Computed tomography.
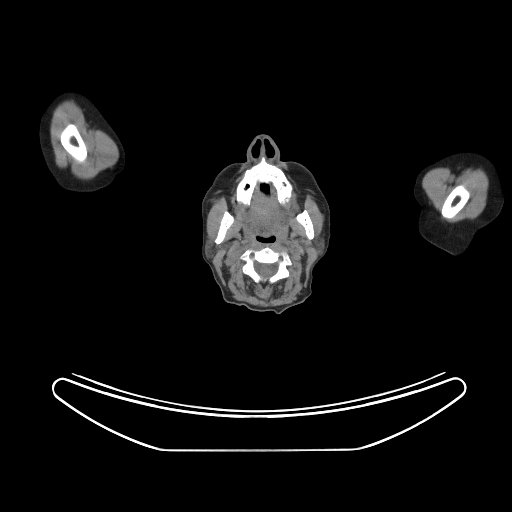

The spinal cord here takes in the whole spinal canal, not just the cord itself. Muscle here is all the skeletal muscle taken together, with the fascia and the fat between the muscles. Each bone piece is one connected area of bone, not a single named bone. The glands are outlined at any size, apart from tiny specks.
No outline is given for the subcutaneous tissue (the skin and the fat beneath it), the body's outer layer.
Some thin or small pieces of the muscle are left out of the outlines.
The parotid glands appear in 2 outlined pieces: piece 1: 323,229 323,238 324,239 324,244 323,245 323,248 321,250 321,251 320,252 319,251 318,251 314,247 314,246 313,245 313,242 314,241 314,240 315,239 315,238 316,237 318,232 320,230 322,230; piece 2: 209,237 211,239 211,240 213,242 213,243 215,246 215,252 214,253 214,256 213,257 213,258 212,258 211,259 208,258 208,257 207,256 207,254 206,253 206,250 205,249 205,246 206,245 207,238 208,238. The spinal cord is outlined by 256,262 257,262 258,263 261,263 262,264 276,264 276,265 277,266 277,268 276,269 276,271 275,272 275,273 274,273 272,275 271,275 268,277 264,277 263,276 260,275 256,271 256,270 255,269 255,263. The muscle appears in 3 outlined pieces: piece 1: 275,163 286,165 292,177 317,193 323,204 324,223 312,242 319,253 310,268 307,285 297,299 280,306 257,306 232,298 218,276 212,262 216,252 215,244 218,245 225,239 234,222 234,216 227,209 223,211 213,241 207,236 208,200 210,195 235,172 250,164 236,184 236,201 249,206 255,191 274,191 278,203 284,205 293,197 294,186 286,173, around holes outlined by 264,247 269,247 275,251 279,252 280,251 287,252 291,261 291,264 286,267 289,272 287,277 279,279 273,283 257,283 247,274 245,274 243,272 242,267 245,263 245,261 240,257 241,255 249,248 257,250 and by 304,209 306,209 307,210 308,212 308,214 311,219 311,221 313,225 313,228 314,229 314,236 312,239 309,239 306,236 306,233 305,232 305,229 304,227 297,220 296,218 296,216 297,214 300,213 and by 258,237 260,237 261,238 269,238 270,237 273,237 274,238 274,239 273,240 273,241 260,241 258,239; piece 2: 66,99 73,99 81,107 84,115 95,122 99,129 108,134 115,142 118,148 119,158 117,162 112,167 101,171 94,178 90,180 78,179 71,173 69,169 61,169 55,163 49,133 50,121 55,107 61,101 with a hole at 70,123 72,123 76,126 76,127 86,146 86,149 87,150 87,157 86,158 86,159 83,162 78,162 76,160 75,160 66,151 66,150 63,147 63,146 60,141 60,133 62,131 62,130 68,124 69,124; piece 3: 439,166 481,167 485,170 489,179 488,195 486,200 486,205 483,211 477,217 474,219 464,219 454,223 445,222 440,220 439,213 429,203 427,196 422,188 422,179 424,175 430,169; inner edge: 459,184 462,184 469,191 469,193 470,194 469,198 467,200 466,203 463,206 463,207 452,218 450,218 449,219 444,218 442,217 442,216 440,214 440,210 442,207 442,205 446,197 453,189 453,188 455,186. The right arm is outlined by 66,90 75,90 81,92 87,96 95,104 116,132 122,143 125,151 125,165 123,169 115,176 113,181 109,185 98,190 94,193 76,193 60,187 48,170 40,150 39,138 38,137 39,122 47,108 58,94. The head and neck is outlined by 261,133 273,139 279,149 281,160 299,162 311,171 327,200 330,211 329,244 327,251 313,268 311,295 304,302 280,314 271,311 253,311 225,302 201,253 202,199 220,170 231,163 246,160 246,152 252,139; inner edges: 265,141 268,141 269,142 269,143 271,145 271,146 272,147 272,148 273,149 273,154 271,156 269,156 267,154 267,150 266,149 266,147 265,146, then 257,141 259,141 260,142 260,145 259,146 259,148 258,149 258,153 257,154 257,155 256,156 255,156 254,155 253,155 253,154 252,153 252,149 253,148 253,146 255,144 255,143, then 258,237 260,237 261,238 269,238 270,237 273,237 274,238 274,239 273,240 273,241 260,241 258,239. The bones appear in 6 outlined pieces: piece 1: 263,156 268,162 271,162 277,165 285,173 287,178 293,186 293,195 284,204 279,203 276,198 276,192 274,190 270,192 260,192 255,190 252,194 249,205 245,205 237,201 236,187 243,176 245,170 257,163; piece 2: 264,247 269,247 275,251 279,252 280,251 287,252 291,261 291,264 286,267 289,272 287,277 279,279 273,283 257,283 247,274 245,274 243,272 242,267 245,263 245,261 240,257 241,255 249,248 257,250, around a hole outlined by 256,262 257,262 258,263 261,263 262,264 276,264 276,265 277,266 277,268 276,269 276,271 275,272 275,273 274,273 272,275 271,275 268,277 264,277 263,276 260,275 256,271 256,270 255,269 255,263; piece 3: 70,123 72,123 76,126 76,127 86,146 86,149 87,150 87,157 86,158 86,159 83,162 78,162 76,160 75,160 66,151 66,150 63,147 63,146 60,141 60,133 62,131 62,130 68,124 69,124; piece 4: 459,184 462,184 469,191 469,193 470,194 469,198 467,200 466,203 463,206 463,207 452,218 450,218 449,219 444,218 442,217 442,216 440,214 440,210 442,207 442,205 446,197 453,189 453,188 455,186; piece 5: 225,210 227,210 233,216 233,222 227,229 225,233 225,236 224,237 224,239 220,243 217,244 215,243 214,241 217,235 217,232 218,231 218,228 219,227 219,224 220,223 221,218; piece 6: 304,209 306,209 307,210 308,212 308,214 311,219 311,221 313,225 313,228 314,229 314,236 312,239 309,239 306,236 306,233 305,232 305,229 304,227 297,220 296,218 296,216 297,214 300,213. The left arm is outlined by 460,151 478,152 487,157 493,163 501,185 504,204 499,215 493,221 480,229 475,234 467,250 461,255 454,256 428,242 419,233 417,227 417,220 420,211 420,206 413,195 413,187 417,174 425,166 444,156.